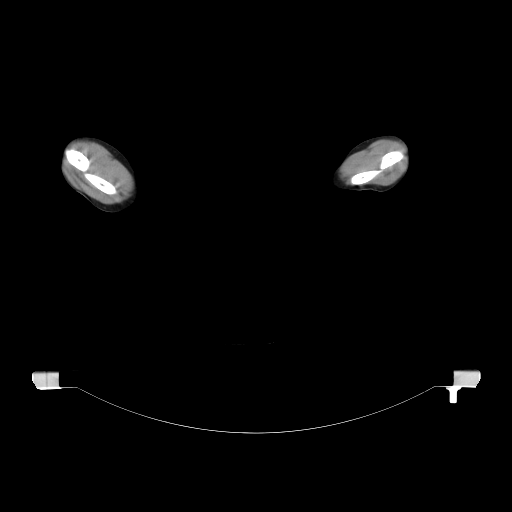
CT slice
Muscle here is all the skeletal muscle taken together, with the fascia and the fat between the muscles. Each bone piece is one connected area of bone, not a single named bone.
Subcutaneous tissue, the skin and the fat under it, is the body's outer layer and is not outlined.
Outlines:
muscle 1: 76 140; 88 140; 102 145; 127 169; 132 179; 132 189; 127 198; 117 203; 102 203; 76 188; 69 181; 64 171; 64 158; 82 172; 85 179; 98 190; 108 195; 114 195; 118 191; 113 183; 89 171; 91 160; 81 150; 68 146
muscle 2: 384 138; 398 140; 404 144; 407 163; 402 174; 394 182; 388 185; 367 183; 385 169; 406 157; 402 150; 393 149; 387 151; 380 157; 378 168; 356 172; 349 178; 349 184; 344 182; 339 174; 346 160; 353 153; 364 149; 376 140
right arm: 82 135; 94 136; 106 141; 118 149; 130 162; 137 176; 138 186; 139 187; 138 198; 132 206; 117 212; 102 211; 94 207; 86 199; 74 191; 66 183; 62 177; 60 171; 60 159; 64 150; 65 144; 70 139; 76 136; 81 136
left arm: 383 134; 394 134; 400 136; 405 140; 409 147; 410 164; 409 169; 403 179; 393 188; 382 192; 372 190; 360 190; 359 191; 357 190; 346 190; 334 187; 330 182; 330 177; 332 172; 340 163; 344 156; 358 143; 368 138
bones 1: 67 147; 73 148; 79 151; 81 151; 90 160; 90 164; 89 165; 88 171; 102 177; 113 184; 116 187; 116 190; 117 191; 116 193; 114 194; 108 194; 105 193; 90 183; 84 176; 84 173; 69 163; 64 157; 63 152; 64 149
bones 2: 393 150; 400 150; 402 151; 405 155; 405 157; 404 158; 396 162; 391 166; 389 166; 385 168; 380 173; 366 183; 364 183; 363 184; 350 184; 350 178; 354 174; 362 171; 378 169; 380 165; 381 157; 387 152; 389 151; 392 151